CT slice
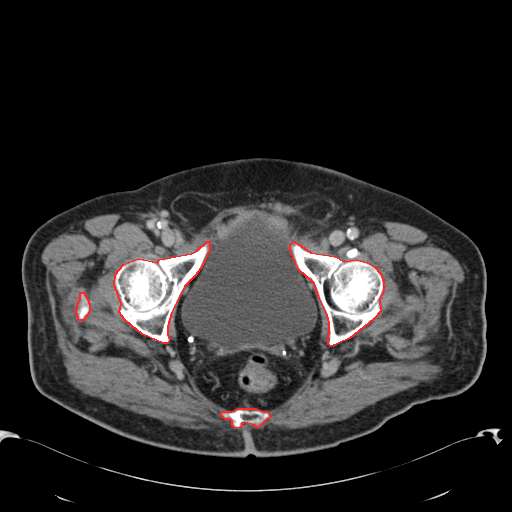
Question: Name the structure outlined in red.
Answer: red: bones.
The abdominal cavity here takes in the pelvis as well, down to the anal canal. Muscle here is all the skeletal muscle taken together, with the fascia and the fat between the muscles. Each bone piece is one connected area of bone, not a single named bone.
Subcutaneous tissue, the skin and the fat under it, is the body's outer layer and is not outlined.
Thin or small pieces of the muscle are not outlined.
bones 1: 294 241; 310 252; 335 256; 344 261; 356 259; 367 262; 374 266; 380 273; 383 282; 383 290; 379 299; 380 311; 373 319; 349 338; 331 346; 328 344; 329 323; 327 314; 319 298; 314 283; 298 269; 295 263; 290 249; 290 243
bones 2: 207 241; 209 241; 209 249; 202 265; 195 275; 184 286; 171 312; 167 326; 167 334; 169 339; 167 343; 163 343; 142 334; 125 320; 119 312; 121 303; 114 284; 115 274; 123 264; 138 258; 157 262; 159 259; 191 253; 197 250
bones 3: 237 408; 250 408; 251 409; 252 408; 256 408; 263 411; 267 411; 270 417; 266 419; 258 427; 256 427; 254 425; 244 422; 241 424; 240 427; 235 428; 232 425; 232 421; 230 419; 225 419; 221 415; 221 412; 223 411; 231 411
bones 4: 80 292; 83 292; 84 293; 84 294; 87 298; 87 299; 88 300; 88 302; 89 303; 89 312; 83 320; 79 320; 78 319; 78 317; 77 316; 77 314; 76 313; 76 309; 77 308; 77 303; 80 299
abdominal cavity: 259 210; 277 211; 298 222; 289 249; 297 269; 309 279; 317 296; 321 316; 319 344; 322 351; 300 385; 283 402; 266 409; 253 405; 231 408; 213 401; 204 394; 191 371; 181 360; 175 317; 180 295; 203 265; 220 220; 234 213
muscle: 271 199; 301 208; 333 228; 406 223; 433 235; 454 253; 464 280; 458 284; 451 306; 453 335; 437 378; 339 421; 243 433; 169 425; 84 394; 69 382; 41 261; 45 246; 66 226; 106 213; 141 212; 185 229; 207 222; 224 208; inner edges: 259 210; 296 220; 291 240; 307 251; 371 264; 383 290; 379 313; 331 346; 318 295; 319 359; 262 410; 269 418; 235 428; 221 415; 235 409; 204 394; 179 356; 177 304; 169 341; 152 339; 119 312; 114 279, then 80 292; 83 292; 84 293; 84 294; 87 298; 87 299; 88 300; 88 302; 89 303; 89 312; 83 320; 79 320; 78 319; 78 317; 77 316; 77 314; 76 313; 76 309; 77 308; 77 303; 80 299
torso: 249 157; 306 161; 346 172; 412 199; 475 242; 487 276; 487 347; 481 372; 468 389; 415 404; 375 431; 337 446; 271 457; 202 455; 145 444; 109 431; 37 390; 29 368; 21 279; 23 251; 34 230; 98 195; 136 189; 192 166